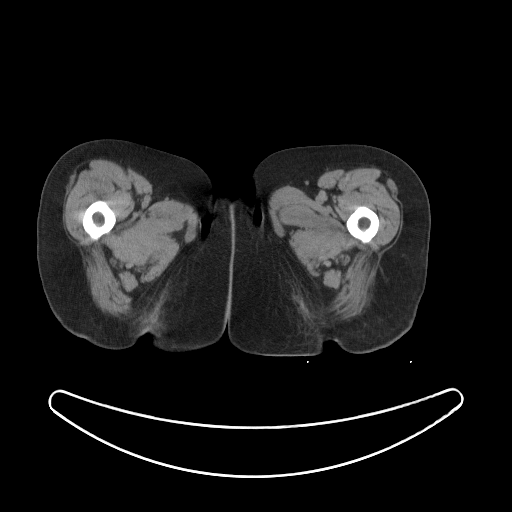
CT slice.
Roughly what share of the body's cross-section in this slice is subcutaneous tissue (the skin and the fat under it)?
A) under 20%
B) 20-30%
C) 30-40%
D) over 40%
Answer: D) over 40%
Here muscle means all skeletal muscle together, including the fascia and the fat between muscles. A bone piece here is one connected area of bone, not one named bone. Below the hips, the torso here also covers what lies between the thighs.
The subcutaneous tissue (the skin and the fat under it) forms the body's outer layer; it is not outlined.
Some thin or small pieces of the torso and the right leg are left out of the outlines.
left leg: [[342,143],[367,144],[394,153],[414,169],[428,194],[427,276],[413,325],[391,345],[368,353],[351,353],[332,341],[312,356],[240,351],[229,341],[227,312],[234,270],[243,261],[260,218],[259,204],[249,189],[252,172],[262,159],[284,148]]
muscle 1: [[94,157],[115,160],[132,168],[149,179],[160,193],[188,203],[200,212],[201,221],[195,238],[181,249],[163,272],[157,284],[135,300],[135,311],[132,318],[125,320],[105,315],[95,305],[80,251],[66,234],[62,222],[65,188],[73,169],[79,161]], around a hole outlined by [[96,200],[103,200],[107,202],[107,204],[109,206],[109,207],[112,210],[113,210],[115,214],[116,221],[115,222],[114,226],[108,233],[106,233],[102,235],[97,240],[93,240],[85,231],[82,224],[82,218],[86,210],[86,208],[91,203]]
muscle 2: [[347,163],[370,164],[393,176],[401,202],[403,224],[395,243],[380,260],[371,287],[369,305],[365,311],[348,320],[331,321],[327,314],[328,296],[312,283],[290,248],[275,234],[268,212],[268,201],[271,193],[284,185],[295,186],[307,192],[328,168]], around a hole outlined by [[360,205],[364,205],[373,210],[377,214],[378,218],[379,219],[379,226],[378,227],[377,232],[371,239],[371,240],[367,243],[363,243],[357,238],[352,236],[348,231],[347,227],[346,226],[346,221],[349,215],[355,209],[355,208],[357,206],[359,206]]
bones 1: [[96,200],[103,200],[107,202],[107,204],[109,206],[109,207],[112,210],[113,210],[115,214],[116,221],[115,222],[114,226],[108,233],[106,233],[102,235],[97,240],[93,240],[85,231],[82,224],[82,218],[86,210],[86,208],[91,203]]
bones 2: [[360,205],[364,205],[373,210],[377,214],[378,218],[379,219],[379,226],[378,227],[377,232],[371,239],[371,240],[367,243],[363,243],[357,238],[352,236],[348,231],[347,227],[346,226],[346,221],[349,215],[355,209],[355,208],[357,206],[359,206]]
right leg: [[99,138],[129,140],[185,157],[209,176],[214,195],[203,226],[213,245],[235,267],[226,312],[227,332],[215,344],[194,351],[168,352],[154,348],[151,337],[145,334],[129,347],[105,349],[67,331],[52,313],[36,258],[36,219],[42,186],[65,151]]
torso: [[215,191],[218,193],[226,193],[231,199],[236,194],[243,194],[247,196],[248,195],[250,194],[250,192],[250,195],[248,198],[251,202],[253,199],[256,204],[255,219],[257,223],[242,261],[237,266],[227,259],[214,245],[208,231],[207,227],[210,220],[209,215],[213,205]]